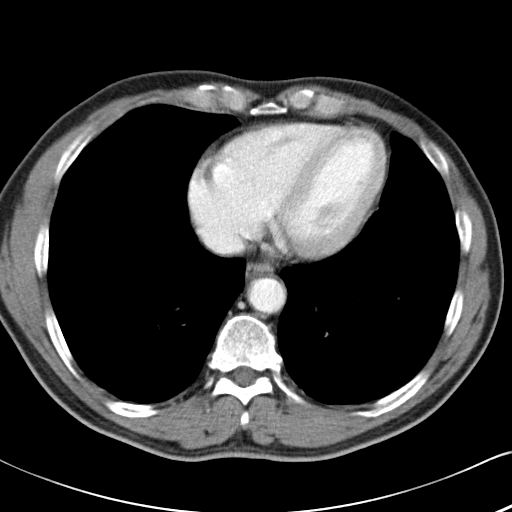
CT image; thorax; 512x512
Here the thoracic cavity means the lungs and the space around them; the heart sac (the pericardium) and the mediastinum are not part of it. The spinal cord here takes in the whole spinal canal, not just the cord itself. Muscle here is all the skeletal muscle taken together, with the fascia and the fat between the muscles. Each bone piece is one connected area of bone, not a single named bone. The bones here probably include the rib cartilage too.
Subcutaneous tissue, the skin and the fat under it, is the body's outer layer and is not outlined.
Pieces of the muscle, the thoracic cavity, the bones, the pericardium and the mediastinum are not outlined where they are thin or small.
The mediastinum appears in 2 outlined pieces: piece 1: 220 256; 224 257; 233 257; 239 256; 248 258; 260 258; 277 264; 288 266; 286 266; 281 272; 281 277; 287 290; 287 298; 279 318; 276 336; 272 331; 269 324; 249 313; 234 314; 228 317; 223 323; 229 309; 244 286; 246 263; 242 257; 223 257; piece 2: 345 115; 366 117; 373 120; 382 122; 393 128; 395 131; 392 132; 390 135; 390 145; 392 149; 391 153; 390 146; 388 144; 388 140; 386 139; 386 137; 384 136; 382 132; 373 123; 369 121; 365 121; 359 117; 338 116; 344 116. The bones appear in 13 outlined pieces: piece 1: 237 314; 249 314; 269 325; 283 361; 282 379; 307 404; 294 402; 274 381; 272 393; 257 394; 246 405; 231 394; 212 396; 213 386; 204 387; 211 375; 215 380; 221 375; 219 371; 208 368; 206 363; 215 346; 220 327; 228 318, around a hole outlined by 238 367; 249 367; 250 368; 251 368; 253 370; 256 371; 257 372; 258 375; 257 376; 257 377; 252 383; 251 383; 248 385; 246 385; 245 386; 241 386; 240 385; 239 385; 237 383; 236 383; 230 377; 232 372; 236 368; 237 368; piece 2: 422 369; 426 369; 430 371; 430 374; 427 380; 414 395; 397 407; 374 417; 366 417; 362 415; 355 415; 353 414; 353 412; 357 410; 368 410; 371 409; 373 407; 372 404; 376 400; 389 394; 391 392; 398 389; 404 385; 413 378; piece 3: 304 88; 311 89; 314 92; 314 97; 312 99; 311 104; 307 108; 295 109; 289 105; 288 110; 284 113; 257 114; 256 115; 246 113; 246 111; 251 107; 256 106; 263 102; 272 101; 278 104; 281 104; 283 100; 288 98; 295 92; piece 4: 49 305; 52 307; 54 311; 57 321; 61 329; 62 334; 65 339; 65 341; 68 346; 68 348; 73 357; 73 360; 71 362; 71 364; 78 373; 79 378; 76 378; 68 369; 51 341; 51 339; 47 331; 46 323; 45 322; 45 312; piece 5: 90 124; 92 124; 93 125; 93 130; 95 131; 95 133; 93 135; 91 140; 82 149; 77 157; 69 166; 62 176; 60 181; 59 182; 56 181; 54 177; 54 172; 56 169; 56 166; 63 152; 67 148; 68 145; 72 140; 80 132; piece 6: 47 217; 49 218; 49 249; 48 250; 47 272; 43 274; 41 276; 39 276; 38 275; 38 273; 35 266; 35 263; 34 262; 34 246; 35 245; 35 239; 36 238; 36 235; 39 229; 39 227; 40 225; 45 221; 45 219; piece 7: 107 399; 111 399; 112 400; 121 400; 126 402; 132 402; 133 403; 137 403; 138 404; 152 404; 153 407; 155 409; 157 409; 158 410; 158 412; 153 415; 151 415; 147 417; 128 417; 127 416; 123 416; 111 411; 104 404; 104 401; piece 8: 457 208; 459 208; 460 209; 464 209; 469 215; 471 222; 472 223; 471 243; 470 244; 469 250; 466 253; 463 253; 460 251; 460 242; 459 241; 459 237; 458 236; 458 233; 457 232; 457 229; 455 224; 455 216; 454 215; 454 212; piece 9: 457 288; 460 288; 463 292; 463 294; 464 295; 462 311; 461 312; 460 317; 452 333; 449 336; 447 336; 444 332; 444 330; 443 329; 444 327; 444 321; 445 320; 445 317; 446 316; 446 314; 447 313; 452 296; 454 293; 455 289; piece 10: 224 85; 229 85; 239 90; 244 95; 245 97; 245 99; 246 100; 246 107; 245 108; 245 110; 244 112; 239 112; 238 111; 234 111; 233 110; 230 110; 224 107; 218 100; 218 96; 221 92; 221 87; piece 11: 422 140; 429 140; 430 141; 432 141; 441 151; 445 159; 447 161; 447 163; 448 164; 448 170; 449 171; 447 174; 445 174; 442 176; 427 158; 425 154; 420 148; 420 146; 419 145; 420 144; 420 141; piece 12: 200 84; 212 84; 213 85; 215 85; 217 87; 217 90; 211 90; 209 92; 212 96; 212 105; 209 105; 208 106; 200 106; 199 105; 193 105; 192 104; 190 104; 186 100; 186 97; 188 94; 188 92; 191 89; 193 89; 195 88; piece 13: 320 94; 324 94; 328 96; 331 96; 332 97; 334 97; 335 98; 343 100; 344 101; 344 104; 343 105; 342 109; 336 114; 332 114; 331 115; 327 115; 326 116; 315 112; 313 110; 312 107; 315 103; 315 101; 317 99; 317 97. The spinal cord is outlined by 238 367; 249 367; 250 368; 251 368; 253 370; 256 371; 257 372; 258 375; 257 376; 257 377; 252 383; 251 383; 248 385; 246 385; 245 386; 241 386; 240 385; 239 385; 237 383; 236 383; 230 377; 232 372; 236 368; 237 368. The thoracic cavity appears in 2 outlined pieces: piece 1: 151 104; 236 119; 237 124; 214 139; 197 160; 187 186; 187 206; 199 243; 217 256; 242 258; 245 268; 243 286; 216 333; 198 380; 163 401; 138 403; 117 399; 74 359; 52 305; 47 273; 50 221; 63 176; 93 139; 128 112; piece 2: 394 132; 409 138; 421 150; 445 185; 459 242; 455 287; 440 337; 413 377; 369 405; 321 403; 300 393; 282 373; 284 361; 277 349; 277 331; 288 298; 282 272; 286 267; 310 264; 336 253; 358 234; 379 208; 389 175. The pericardium is outlined by 336 116; 359 118; 373 124; 387 140; 390 150; 387 178; 377 207; 351 240; 339 250; 322 259; 292 265; 277 263; 260 257; 219 255; 212 252; 200 241; 190 220; 188 186; 198 160; 214 140; 231 129; 252 122; 281 118; 331 118. The muscle appears in 2 outlined pieces: piece 1: 200 81; 201 82; 221 81; 236 84; 249 88; 265 97; 273 97; 284 89; 296 84; 312 83; 334 88; 378 103; 414 120; 451 156; 475 196; 484 218; 487 233; 487 250; 491 274; 489 287; 490 298; 488 302; 485 323; 474 348; 460 369; 429 397; 396 418; 363 433; 326 446; 297 447; 284 445; 276 441; 269 444; 262 444; 256 442; 247 431; 242 430; 237 432; 222 443; 213 444; 200 448; 189 449; 183 447; 176 441; 153 438; 131 431; 103 417; 91 409; 80 400; 60 380; 28 340; 9 313; 0 295; 0 240; 16 197; 32 166; 47 148; 60 135; 91 111; 111 100; 126 95; 133 95; 154 88; 193 83 with holes at 304 88; 314 92; 307 108; 295 109; 289 105; 286 112; 273 115; 366 117; 390 126; 419 148; 420 141; 432 141; 447 161; 449 171; 441 177; 453 211; 464 209; 470 217; 471 243; 466 253; 459 252; 454 288; 463 292; 462 311; 449 336; 442 330; 421 368; 430 371; 427 380; 414 395; 397 407; 374 417; 366 417; 353 412; 371 409; 371 404; 326 404; 302 393; 299 394; 307 404; 299 404; 274 381; 272 393; 257 394; 246 405; 231 394; 212 396; 213 386; 205 388; 204 384; 211 375; 216 380; 221 374; 206 366; 196 382; 168 399; 153 403; 158 410; 153 415; 128 417; 111 411; 104 401; 116 400; 116 397; 90 378; 74 359; 71 364; 79 378; 73 375; 53 345; 45 322; 45 312; 52 302; 48 276; 46 273; 39 276; 35 266; 34 246; 40 225; 47 217; 51 220; 60 186; 54 172; 63 152; 88 125; 93 125; 94 139; 128 112; 143 106; 166 104; 241 117; 270 116; 252 115; 246 111; 263 102; 281 104 and at 224 85; 229 85; 239 90; 244 95; 245 97; 245 99; 246 100; 246 107; 245 108; 245 110; 244 112; 239 112; 238 111; 234 111; 233 110; 230 110; 224 107; 218 100; 218 96; 221 92; 221 87 and at 200 84; 212 84; 213 85; 215 85; 217 87; 217 90; 211 90; 209 92; 212 96; 212 105; 209 105; 208 106; 200 106; 199 105; 193 105; 192 104; 190 104; 186 100; 186 97; 188 94; 188 92; 191 89; 193 89; 195 88 and at 320 94; 324 94; 328 96; 331 96; 332 97; 334 97; 335 98; 343 100; 344 101; 344 104; 343 105; 342 109; 336 114; 332 114; 331 115; 327 115; 326 116; 315 112; 313 110; 312 107; 315 103; 315 101; 317 99; 317 97 and at 244 410; 246 410; 248 412; 248 414; 249 415; 249 420; 248 421; 248 422; 246 424; 244 424; 243 425; 242 425; 240 423; 240 417; 241 416; 241 414; 243 412; 243 411; piece 2: 282 374; 285 377; 285 378; 287 380; 287 381; 292 386; 293 386; 293 387; 298 392; 299 392; 299 393; 298 392; 297 392; 294 389; 293 389; 289 385; 288 385; 288 384; 283 379; 283 377; 282 376. The torso is outlined by 176 68; 208 69; 251 79; 330 75; 368 81; 421 108; 457 143; 494 210; 503 256; 503 299; 482 356; 452 395; 427 418; 381 442; 325 460; 226 457; 180 461; 86 426; 34 377; 0 323; 0 189; 40 135; 72 106; 120 78.